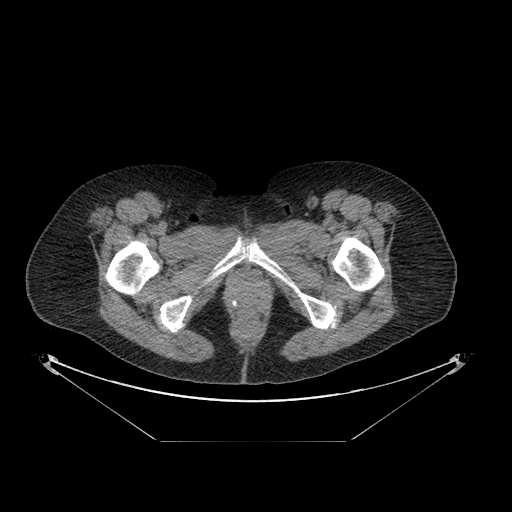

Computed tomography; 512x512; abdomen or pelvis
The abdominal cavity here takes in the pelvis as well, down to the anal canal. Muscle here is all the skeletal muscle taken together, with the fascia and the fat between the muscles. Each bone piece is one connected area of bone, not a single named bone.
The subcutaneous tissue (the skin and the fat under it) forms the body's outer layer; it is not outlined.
The bones appear in 3 outlined pieces: piece 1: (238, 235) (246, 242) (256, 238) (264, 252) (301, 291) (335, 306) (339, 320) (336, 327) (320, 329) (312, 325) (304, 304) (288, 285) (261, 266) (244, 259) (198, 290) (187, 309) (184, 327) (175, 333) (165, 328) (158, 317) (161, 304) (182, 295) (193, 294) (232, 247); piece 2: (132, 240) (139, 240) (145, 243) (151, 255) (159, 263) (160, 268) (159, 269) (159, 271) (155, 275) (151, 277) (145, 282) (141, 289) (137, 293) (134, 295) (127, 295) (117, 291) (110, 286) (104, 278) (104, 273) (106, 271) (106, 269) (115, 253) (119, 249) (125, 246); piece 3: (348, 236) (355, 236) (365, 244) (368, 245) (374, 251) (385, 270) (385, 275) (384, 277) (372, 289) (366, 291) (362, 291) (361, 292) (352, 289) (348, 283) (339, 274) (338, 274) (332, 267) (331, 264) (332, 259) (337, 253) (340, 247) (340, 245) (342, 243) (344, 238). The abdominal cavity is outlined by (240, 268) (253, 268) (261, 271) (266, 277) (272, 293) (271, 301) (268, 310) (265, 314) (265, 317) (263, 320) (263, 326) (261, 331) (256, 339) (251, 343) (244, 343) (239, 338) (239, 335) (232, 319) (232, 316) (228, 310) (225, 298) (226, 282) (230, 274) (234, 270). The muscle is outlined by (336, 188) (366, 191) (399, 211) (392, 241) (396, 312) (358, 342) (322, 356) (294, 362) (285, 359) (279, 349) (307, 323) (282, 294) (274, 301) (265, 334) (253, 354) (239, 352) (228, 331) (222, 300) (216, 296) (207, 302) (191, 318) (189, 328) (212, 342) (215, 356) (194, 363) (152, 352) (100, 317) (98, 268) (87, 222) (91, 212) (112, 195) (153, 192) (163, 203) (167, 221) (179, 231) (191, 225) (252, 228) (292, 218) (317, 221) (322, 197) with holes at (238, 235) (246, 242) (256, 238) (264, 252) (301, 291) (335, 306) (339, 320) (336, 327) (320, 329) (312, 325) (304, 304) (288, 285) (261, 266) (244, 259) (198, 290) (187, 309) (184, 327) (175, 333) (165, 328) (158, 317) (161, 304) (182, 295) (193, 294) (232, 247) and at (240, 268) (253, 268) (261, 271) (266, 277) (272, 293) (271, 301) (268, 310) (265, 314) (265, 317) (263, 320) (263, 326) (261, 331) (256, 339) (251, 343) (244, 343) (239, 338) (239, 335) (232, 319) (232, 316) (228, 310) (225, 298) (226, 282) (230, 274) (234, 270) and at (132, 240) (139, 240) (145, 243) (151, 255) (159, 263) (160, 268) (159, 269) (159, 271) (155, 275) (151, 277) (145, 282) (141, 289) (137, 293) (134, 295) (127, 295) (117, 291) (110, 286) (104, 278) (104, 273) (106, 271) (106, 269) (115, 253) (119, 249) (125, 246) and at (348, 236) (355, 236) (365, 244) (368, 245) (374, 251) (385, 270) (385, 275) (384, 277) (372, 289) (366, 291) (362, 291) (361, 292) (352, 289) (348, 283) (339, 274) (338, 274) (332, 267) (331, 264) (332, 259) (337, 253) (340, 247) (340, 245) (342, 243) (344, 238). The torso is outlined by (319, 160) (366, 162) (408, 182) (431, 206) (456, 259) (447, 315) (387, 350) (294, 382) (196, 383) (140, 369) (83, 335) (44, 322) (32, 310) (25, 290) (32, 248) (65, 198) (86, 180) (126, 165) (169, 163) (208, 174) (218, 183) (218, 194) (260, 193) (276, 172).